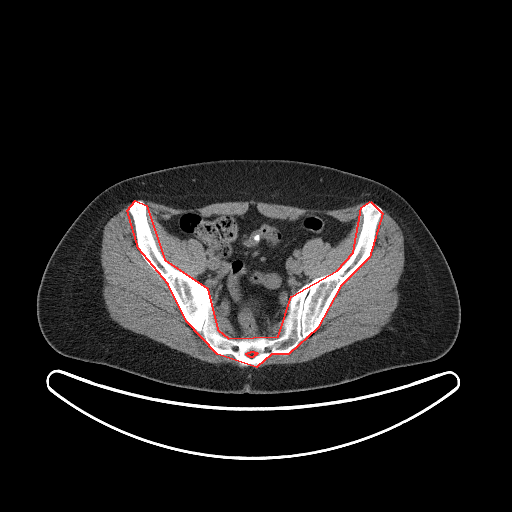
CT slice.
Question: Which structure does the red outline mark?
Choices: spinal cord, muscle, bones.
Answer: red: bones.
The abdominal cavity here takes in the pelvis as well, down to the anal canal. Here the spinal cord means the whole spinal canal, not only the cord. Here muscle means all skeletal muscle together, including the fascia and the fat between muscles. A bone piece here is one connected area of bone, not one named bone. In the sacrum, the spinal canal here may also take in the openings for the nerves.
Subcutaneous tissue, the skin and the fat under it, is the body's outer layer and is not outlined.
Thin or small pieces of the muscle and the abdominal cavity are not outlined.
{"bones":[{"outer":[[135,200],[146,205],[164,259],[207,288],[217,329],[228,338],[278,336],[291,296],[337,270],[353,252],[361,207],[370,201],[382,213],[369,257],[340,286],[317,328],[288,354],[271,354],[256,367],[217,354],[186,321],[168,284],[138,248],[127,210]],"hole":[[251,351],[252,351],[253,351],[254,352],[255,352],[256,352],[257,353],[256,354],[255,355],[254,355],[253,356],[252,357],[251,357],[250,357],[249,356],[248,356],[247,355],[246,354],[246,353],[247,353],[248,352],[249,352],[250,352]]}],"abdominal_cavity":[[[250,206],[270,218],[295,220],[317,213],[353,225],[334,246],[319,237],[307,240],[301,261],[310,281],[290,296],[286,314],[267,328],[266,335],[238,337],[214,307],[208,288],[196,279],[206,267],[202,244],[180,239],[162,224],[183,213],[239,215]]],"torso":[[[218,159],[287,159],[315,163],[373,179],[400,194],[436,240],[453,275],[461,321],[452,347],[430,362],[393,368],[334,386],[271,394],[219,393],[168,385],[107,365],[70,358],[54,350],[38,325],[37,290],[51,254],[83,209],[98,194],[121,180]]],"muscle":[[[128,202],[131,202],[126,210],[133,221],[137,248],[146,263],[167,284],[185,321],[201,335],[205,344],[217,355],[231,355],[233,356],[240,366],[245,367],[240,367],[230,363],[216,364],[202,361],[123,328],[109,316],[102,295],[103,271],[100,261],[102,233],[108,220]],[[382,208],[385,209],[395,220],[404,237],[404,268],[397,285],[399,301],[397,307],[392,313],[391,320],[379,333],[329,351],[313,359],[298,363],[270,364],[260,366],[271,355],[288,355],[318,328],[341,286],[370,257],[376,239],[377,227],[383,213]],[[251,199],[326,210],[365,202],[360,207],[362,223],[354,248],[337,269],[309,280],[302,261],[302,248],[306,242],[319,238],[334,247],[352,229],[353,221],[342,221],[317,212],[308,212],[295,219],[276,218],[262,214],[255,205],[250,205],[245,212],[239,214],[201,215],[183,212],[166,218],[161,225],[180,240],[193,239],[201,244],[205,267],[195,278],[174,267],[162,255],[152,233],[147,205],[143,200],[187,209]],[[215,307],[216,308],[218,308],[218,309],[221,312],[221,313],[223,314],[223,315],[231,324],[231,325],[236,332],[236,335],[237,337],[228,337],[222,334],[220,332],[220,331],[218,329],[218,325],[216,323],[216,320],[214,316],[214,314],[215,313]],[[279,321],[279,326],[280,327],[280,331],[279,332],[279,334],[278,335],[277,335],[276,336],[274,336],[273,337],[269,337],[268,336],[267,336],[267,334],[268,333],[268,328],[270,326],[272,326],[274,324],[275,324],[277,322],[278,322]]],"spinal_cord":[[[251,351],[252,351],[253,351],[254,352],[255,352],[256,352],[257,353],[256,354],[255,355],[254,355],[253,356],[252,357],[251,357],[250,357],[249,356],[248,356],[247,355],[246,354],[246,353],[247,353],[248,352],[249,352],[250,352]],[[234,345],[235,345],[236,345],[237,346],[238,347],[238,348],[238,349],[237,350],[236,351],[235,351],[234,351],[233,350],[232,349],[232,348],[232,347],[233,346]],[[266,347],[267,347],[268,347],[269,348],[270,349],[270,350],[270,351],[269,352],[268,353],[267,353],[266,353],[265,352],[264,351],[264,350],[264,349],[265,348]]]}